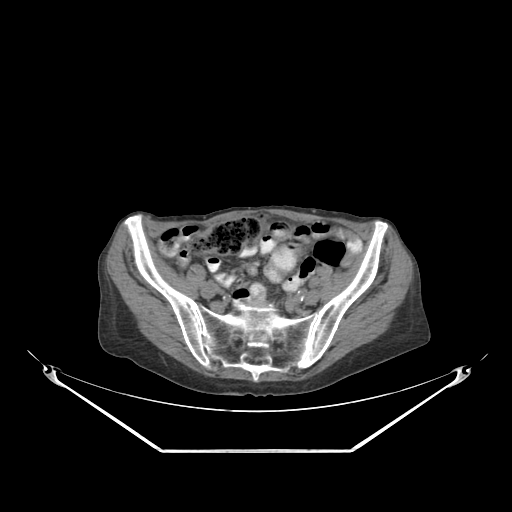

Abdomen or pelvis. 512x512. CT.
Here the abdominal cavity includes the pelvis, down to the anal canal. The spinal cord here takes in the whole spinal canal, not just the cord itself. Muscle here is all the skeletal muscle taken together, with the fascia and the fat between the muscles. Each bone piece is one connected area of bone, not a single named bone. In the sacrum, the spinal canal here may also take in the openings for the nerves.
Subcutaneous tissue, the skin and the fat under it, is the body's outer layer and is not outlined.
Outlines (x, y in pixels):
torso: [[268,204],[315,207],[360,216],[378,215],[393,221],[418,263],[422,301],[431,332],[430,340],[425,345],[316,391],[264,397],[196,392],[148,371],[127,358],[113,356],[101,348],[97,339],[97,258],[121,217],[134,210],[163,216],[204,214],[235,205]]
bones: [[135,214],[156,269],[172,287],[219,314],[237,299],[271,303],[288,318],[311,314],[344,289],[374,222],[388,227],[373,281],[345,311],[322,356],[307,368],[262,372],[255,382],[247,370],[219,361],[209,370],[193,356],[170,303],[135,265],[123,224]] with holes at [[248,357],[249,357],[250,358],[251,358],[252,359],[255,359],[256,360],[264,360],[265,361],[264,362],[262,362],[261,363],[252,363],[251,362],[249,362],[247,360],[247,358]] and at [[235,337],[237,337],[238,338],[239,338],[239,339],[240,340],[240,341],[241,342],[241,343],[240,344],[240,345],[239,345],[238,346],[236,346],[235,345],[234,345],[234,344],[233,343],[233,342],[232,341],[232,340],[233,339],[233,338],[234,338]] and at [[276,340],[277,340],[278,340],[279,340],[280,341],[281,341],[281,342],[282,343],[282,344],[281,345],[281,346],[280,346],[279,347],[278,347],[277,347],[276,347],[275,346],[274,346],[274,345],[273,344],[273,343],[274,342],[274,341],[275,341]]
muscle 1: [[389,224],[412,261],[413,280],[387,330],[370,342],[350,351],[319,373],[309,378],[298,381],[284,380],[257,382],[262,373],[272,371],[285,374],[292,367],[301,370],[307,369],[323,356],[330,346],[346,311],[374,281],[379,269],[382,244]]
muscle 2: [[122,222],[131,240],[133,262],[137,271],[169,303],[180,328],[184,343],[196,361],[209,371],[217,369],[214,362],[219,362],[223,368],[239,368],[250,373],[252,381],[208,377],[200,374],[160,350],[140,332],[132,313],[105,271],[105,259],[108,250]]
muscle 3: [[248,209],[285,209],[356,222],[375,220],[370,239],[355,274],[344,288],[318,309],[325,283],[335,273],[346,271],[353,262],[364,251],[365,246],[364,239],[349,227],[326,219],[296,220],[273,213],[257,212],[218,223],[196,222],[168,228],[154,239],[152,245],[159,257],[178,274],[185,275],[195,263],[203,266],[206,277],[198,290],[198,301],[201,304],[199,304],[192,297],[172,286],[157,269],[143,227],[142,214],[156,221],[204,220],[218,214]]
spinal cord 1: [[248,357],[249,357],[250,358],[251,358],[252,359],[255,359],[256,360],[264,360],[265,361],[264,362],[262,362],[261,363],[252,363],[251,362],[249,362],[247,360],[247,358]]
spinal cord 2: [[235,337],[237,337],[238,338],[239,338],[239,339],[240,340],[240,341],[241,342],[241,343],[240,344],[240,345],[239,345],[238,346],[236,346],[235,345],[234,345],[234,344],[233,343],[233,342],[232,341],[232,340],[233,339],[233,338],[234,338]]
spinal cord 3: [[276,340],[277,340],[278,340],[279,340],[280,341],[281,341],[281,342],[282,343],[282,344],[281,345],[281,346],[280,346],[279,347],[278,347],[277,347],[276,347],[275,346],[274,346],[274,345],[273,344],[273,343],[274,342],[274,341],[275,341]]
abdominal cavity: [[257,213],[296,221],[331,221],[363,239],[363,251],[346,270],[329,277],[311,313],[288,317],[271,302],[237,298],[228,312],[216,312],[199,301],[199,290],[207,277],[204,266],[195,262],[185,274],[178,273],[157,253],[153,242],[168,229],[218,224]]